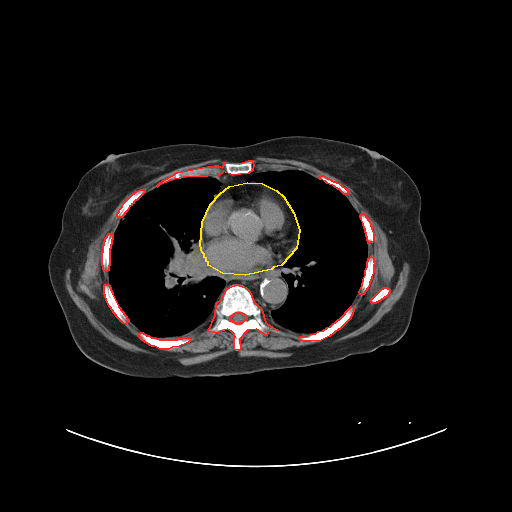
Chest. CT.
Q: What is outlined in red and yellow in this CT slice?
A: red: bones; yellow: pericardium.
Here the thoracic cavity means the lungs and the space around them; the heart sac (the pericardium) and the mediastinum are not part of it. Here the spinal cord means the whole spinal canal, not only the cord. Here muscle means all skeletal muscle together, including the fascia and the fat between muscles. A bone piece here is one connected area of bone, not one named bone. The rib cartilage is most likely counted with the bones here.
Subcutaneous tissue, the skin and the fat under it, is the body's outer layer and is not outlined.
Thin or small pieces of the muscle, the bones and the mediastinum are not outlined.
{"bones":[{"outer":[[236,284],[245,287],[249,291],[253,301],[261,309],[265,322],[277,330],[269,329],[266,335],[256,329],[247,330],[239,339],[240,349],[238,350],[234,349],[234,334],[231,331],[227,329],[215,333],[208,331],[215,315],[216,303],[222,298],[227,288]],"hole":[[236,312],[240,312],[241,313],[243,313],[246,316],[246,319],[245,320],[244,320],[241,323],[240,323],[239,324],[237,324],[236,323],[235,323],[234,322],[233,322],[232,321],[231,321],[230,320],[230,317],[234,313],[235,313]]},[[248,160],[251,160],[253,164],[252,170],[248,173],[232,175],[223,171],[217,176],[207,175],[206,176],[183,177],[170,180],[157,186],[160,182],[177,172],[207,166],[214,166],[215,165],[218,165],[222,167],[225,162],[239,163]],[[351,306],[354,307],[354,308],[353,309],[352,314],[349,319],[339,329],[338,329],[329,336],[319,341],[301,340],[298,338],[298,337],[300,336],[303,336],[304,335],[315,333],[318,331],[323,330],[327,327],[330,326],[338,319],[339,319]],[[140,332],[142,332],[146,335],[148,335],[151,337],[158,338],[159,339],[177,339],[178,338],[182,338],[183,337],[189,337],[190,338],[190,340],[188,342],[179,346],[172,347],[168,349],[160,349],[154,346],[152,346],[142,340],[138,335],[138,333]],[[105,284],[108,284],[109,285],[110,287],[110,289],[112,292],[112,294],[118,306],[128,319],[128,321],[125,324],[123,323],[116,316],[116,315],[113,312],[113,311],[109,306],[106,300],[105,295],[104,294],[104,285]],[[109,233],[111,233],[112,234],[112,239],[111,240],[111,244],[110,245],[110,248],[109,249],[109,265],[108,266],[108,270],[106,271],[104,271],[103,269],[103,266],[102,265],[102,252],[103,251],[103,245],[104,244],[104,241],[105,240],[105,238]],[[371,256],[373,257],[373,261],[374,262],[374,264],[373,265],[373,272],[371,276],[371,279],[369,282],[369,284],[367,288],[363,294],[360,294],[359,291],[362,285],[363,279],[365,275],[365,271],[367,266],[367,261],[368,260],[368,258]],[[140,189],[143,189],[144,190],[144,192],[136,200],[135,200],[133,202],[133,203],[131,204],[131,205],[129,206],[127,210],[121,217],[118,217],[117,216],[117,213],[119,211],[120,208],[122,206],[124,202],[133,193],[134,193],[136,191]],[[362,213],[363,213],[365,215],[365,216],[369,221],[370,223],[370,225],[371,226],[371,229],[373,233],[373,241],[369,243],[368,243],[368,241],[367,240],[367,237],[366,236],[366,233],[365,232],[365,229],[364,228],[363,223],[360,217],[360,215]],[[321,175],[323,175],[327,178],[328,178],[333,181],[335,181],[336,182],[339,183],[347,190],[347,191],[348,192],[347,193],[347,194],[344,194],[339,189],[338,189],[334,186],[327,183],[325,181],[320,179],[319,178]],[[384,287],[386,287],[387,288],[388,288],[389,289],[389,292],[388,293],[388,294],[385,297],[384,297],[382,299],[381,299],[379,301],[378,301],[377,302],[376,302],[375,303],[372,303],[371,302],[371,301],[370,300],[382,288],[383,288]]],"pericardium":[[[247,182],[262,183],[276,190],[283,196],[293,212],[299,230],[296,248],[281,265],[273,267],[271,269],[245,275],[222,273],[208,265],[208,262],[206,261],[206,258],[204,257],[204,254],[202,252],[200,245],[202,222],[210,204],[220,193],[229,186]]],"torso":[[[290,135],[322,137],[363,146],[395,162],[415,183],[421,197],[420,223],[430,259],[404,335],[391,345],[336,361],[191,378],[154,379],[126,375],[84,355],[70,334],[48,274],[48,258],[61,230],[62,213],[80,178],[112,153],[176,143],[243,146]]],"muscle":[{"outer":[[259,156],[310,164],[356,193],[382,225],[393,265],[399,270],[404,262],[410,266],[406,287],[391,309],[369,329],[350,339],[302,346],[284,357],[240,356],[232,351],[185,365],[128,350],[102,335],[69,295],[66,270],[77,272],[82,267],[92,238],[127,194],[164,173],[216,158],[227,161],[222,166],[177,171],[145,193],[143,188],[136,190],[119,208],[116,216],[123,217],[113,234],[109,232],[105,236],[101,252],[102,269],[108,271],[109,280],[109,284],[103,285],[103,294],[115,316],[125,325],[131,322],[140,331],[137,335],[142,341],[160,350],[188,343],[191,338],[183,336],[210,320],[207,331],[212,334],[222,330],[231,332],[235,351],[241,349],[240,339],[247,331],[256,330],[265,336],[269,330],[277,332],[266,321],[307,334],[297,337],[301,341],[319,342],[350,319],[354,299],[358,292],[364,294],[374,272],[374,257],[368,257],[368,244],[374,241],[370,221],[363,212],[356,211],[346,196],[348,190],[323,174],[318,178],[283,164],[272,164],[271,169],[249,173],[254,168],[250,159]],"hole":[[384,287],[386,287],[387,288],[388,288],[389,289],[389,292],[388,293],[388,294],[385,297],[384,297],[382,299],[381,299],[379,301],[378,301],[377,302],[376,302],[375,303],[372,303],[371,302],[371,301],[370,300],[382,288],[383,288]]}],"mediastinum":[[[282,265],[281,275],[287,285],[288,293],[284,303],[280,307],[273,309],[269,315],[262,313],[262,309],[254,301],[252,294],[245,286],[237,283],[232,284],[221,294],[226,285],[225,280],[216,275],[208,274],[208,266],[222,274],[245,276],[262,273]],[[249,174],[252,174],[248,177],[247,179],[248,181],[246,182],[240,182],[239,183],[229,185],[221,192],[220,192],[216,196],[213,201],[214,194],[218,191],[218,189],[220,185],[220,181],[214,177],[217,177],[218,176],[243,176],[244,175],[248,175]]],"thoracic_cavity":[[[207,176],[218,180],[219,185],[202,219],[199,245],[207,262],[207,274],[221,278],[225,282],[220,293],[221,298],[214,305],[214,315],[211,321],[207,320],[177,338],[151,336],[129,320],[111,289],[109,266],[113,235],[124,214],[143,194],[177,179]],[[288,169],[303,171],[345,195],[359,215],[367,241],[364,275],[350,306],[333,323],[311,333],[299,333],[282,327],[264,319],[262,314],[269,316],[287,299],[289,288],[282,275],[283,263],[297,248],[300,230],[291,206],[279,191],[248,179],[260,171]]],"spinal_cord":[[[236,312],[240,312],[241,313],[243,313],[246,316],[246,319],[245,320],[244,320],[241,323],[240,323],[239,324],[237,324],[236,323],[235,323],[234,322],[233,322],[232,321],[231,321],[230,320],[230,317],[234,313],[235,313]]]}